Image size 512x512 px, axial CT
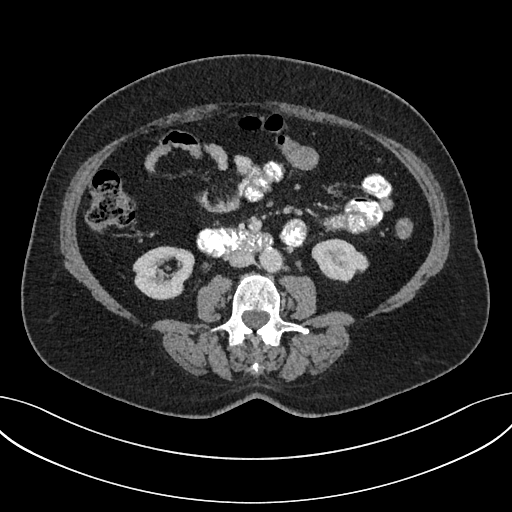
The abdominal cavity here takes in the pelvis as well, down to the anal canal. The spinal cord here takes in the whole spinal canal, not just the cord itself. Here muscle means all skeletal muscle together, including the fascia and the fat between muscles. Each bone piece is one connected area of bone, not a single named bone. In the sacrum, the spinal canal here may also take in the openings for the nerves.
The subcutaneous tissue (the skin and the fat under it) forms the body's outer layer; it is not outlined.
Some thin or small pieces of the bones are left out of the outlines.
The torso is outlined by [[239,53],[305,60],[367,79],[403,98],[433,128],[466,188],[490,288],[486,329],[461,364],[406,392],[333,415],[301,417],[255,398],[212,417],[186,418],[104,395],[38,357],[21,317],[21,277],[38,199],[65,140],[96,103],[128,83],[188,60]]. The bones are outlined by [[254,273],[273,280],[281,298],[280,316],[286,321],[307,327],[309,331],[306,334],[286,331],[282,334],[277,346],[265,344],[260,339],[254,346],[247,336],[240,344],[230,346],[228,333],[225,330],[209,331],[229,318],[232,297],[238,283],[246,274]] with a hole at [[253,310],[254,310],[255,311],[263,311],[264,312],[266,312],[269,316],[269,317],[268,318],[268,320],[265,323],[264,323],[262,325],[261,325],[257,328],[252,328],[251,327],[248,326],[243,321],[243,320],[242,319],[242,315],[245,311],[252,311]]. The spinal cord is outlined by [[253,310],[254,310],[255,311],[263,311],[264,312],[266,312],[269,316],[269,317],[268,318],[268,320],[265,323],[264,323],[262,325],[261,325],[257,328],[252,328],[251,327],[248,326],[243,321],[243,320],[242,319],[242,315],[245,311],[252,311]]. The abdominal cavity is outlined by [[246,106],[357,130],[393,153],[421,188],[432,220],[427,255],[361,317],[342,310],[314,315],[314,281],[285,274],[284,319],[274,280],[254,272],[237,283],[226,319],[233,281],[217,273],[197,290],[199,322],[148,323],[84,260],[79,204],[118,146]]. The muscle is outlined by [[226,101],[231,102],[275,101],[307,106],[351,120],[376,132],[379,132],[401,143],[413,151],[427,164],[432,171],[434,177],[439,183],[446,201],[450,222],[449,252],[448,257],[440,271],[410,301],[406,302],[403,305],[391,311],[382,312],[371,316],[351,326],[349,331],[350,342],[345,353],[327,372],[308,384],[282,384],[275,382],[261,374],[251,375],[240,381],[229,383],[207,382],[195,377],[179,366],[159,345],[154,332],[113,313],[94,299],[65,268],[61,258],[59,249],[59,222],[63,198],[67,187],[75,172],[88,157],[116,138],[126,133],[131,132],[138,127],[169,113],[177,112],[182,109],[186,109],[196,105],[208,103],[218,103]]; inner edges: [[246,106],[373,138],[413,176],[432,220],[425,259],[359,318],[314,315],[314,281],[283,275],[285,320],[309,331],[277,346],[230,346],[209,331],[227,320],[233,281],[220,273],[197,290],[199,322],[141,320],[91,271],[76,232],[86,186],[122,143]], then [[256,361],[259,364],[259,371],[258,372],[258,373],[255,373],[251,369],[251,365],[254,362],[255,362]].